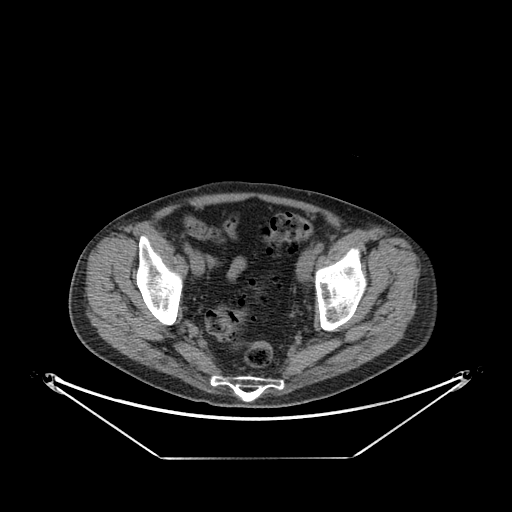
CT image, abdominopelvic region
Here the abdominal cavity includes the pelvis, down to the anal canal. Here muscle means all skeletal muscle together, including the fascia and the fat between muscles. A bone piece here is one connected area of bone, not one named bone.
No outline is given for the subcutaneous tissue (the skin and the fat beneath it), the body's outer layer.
The muscle is outlined by (224, 192) (259, 192) (304, 201) (333, 212) (352, 228) (377, 225) (385, 227) (389, 236) (405, 239) (419, 258) (420, 271) (415, 313) (403, 337) (349, 371) (286, 394) (259, 397) (268, 388) (285, 387) (282, 378) (272, 376) (291, 352) (315, 335) (315, 302) (319, 326) (332, 332) (354, 315) (368, 282) (356, 246) (315, 269) (318, 258) (342, 235) (321, 213) (250, 197) (202, 207) (187, 203) (157, 222) (155, 227) (185, 260) (183, 280) (163, 261) (145, 234) (138, 238) (134, 272) (145, 306) (163, 325) (176, 322) (181, 297) (182, 316) (196, 324) (221, 369) (234, 376) (212, 374) (209, 384) (228, 386) (241, 400) (195, 387) (141, 364) (108, 344) (86, 315) (84, 288) (92, 249) (120, 226) (148, 219) (172, 202). The torso is outlined by (223, 178) (274, 182) (329, 194) (385, 217) (415, 239) (428, 253) (437, 280) (438, 311) (428, 343) (412, 356) (359, 385) (325, 398) (277, 408) (219, 407) (192, 401) (146, 384) (93, 354) (76, 336) (68, 313) (70, 281) (85, 245) (108, 222) (142, 203) (180, 188). The bones appear in 3 outlined pieces: piece 1: (351, 247) (356, 247) (358, 248) (360, 251) (361, 269) (365, 275) (367, 284) (353, 315) (345, 323) (338, 326) (334, 330) (332, 331) (326, 331) (322, 329) (320, 326) (319, 310) (316, 301) (314, 274) (315, 271) (317, 269) (332, 264) (339, 260); piece 2: (141, 235) (145, 235) (147, 237) (150, 245) (154, 251) (161, 257) (162, 261) (172, 271) (179, 274) (182, 278) (183, 285) (177, 316) (175, 322) (172, 325) (163, 324) (152, 314) (146, 306) (142, 295) (136, 284) (135, 272) (139, 261) (138, 260) (139, 250) (138, 242); piece 3: (212, 375) (221, 375) (229, 378) (241, 375) (250, 375) (265, 378) (271, 377) (272, 378) (282, 379) (284, 381) (284, 387) (282, 389) (277, 389) (274, 387) (268, 387) (254, 400) (252, 401) (243, 401) (228, 385) (219, 384) (216, 386) (212, 386) (210, 384) (210, 377). The abdominal cavity is outlined by (250, 198) (297, 208) (307, 213) (319, 213) (341, 233) (314, 264) (314, 335) (303, 346) (289, 353) (274, 372) (275, 375) (267, 377) (233, 375) (222, 369) (197, 324) (183, 316) (186, 260) (175, 252) (174, 246) (156, 227) (164, 217) (187, 204) (202, 208).